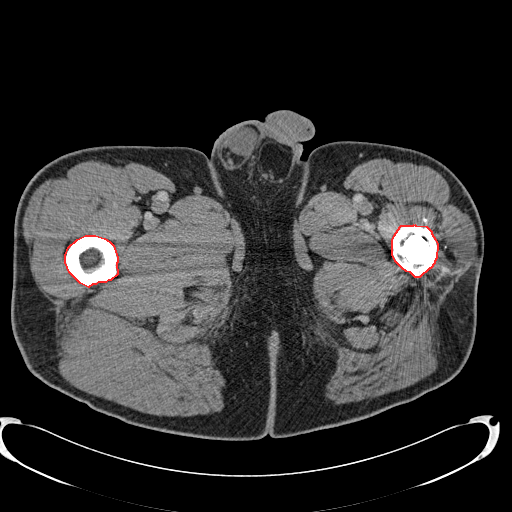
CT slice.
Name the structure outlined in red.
red: bones.
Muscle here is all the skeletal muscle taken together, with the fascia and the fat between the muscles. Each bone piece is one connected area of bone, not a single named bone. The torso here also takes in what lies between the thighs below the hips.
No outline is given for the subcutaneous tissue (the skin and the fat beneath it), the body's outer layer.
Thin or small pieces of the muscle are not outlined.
The bones appear in 2 outlined pieces: piece 1: 85 235; 95 235; 104 238; 109 241; 113 245; 117 257; 117 262; 116 263; 117 274; 110 280; 108 280; 105 282; 98 282; 95 284; 92 284; 88 287; 80 283; 69 272; 65 262; 65 255; 68 247; 77 239; piece 2: 414 224; 415 225; 426 226; 431 231; 431 233; 435 239; 437 244; 436 258; 434 261; 434 263; 430 268; 429 268; 419 277; 415 277; 410 272; 406 271; 402 268; 396 262; 392 255; 392 240; 394 235; 400 226; 401 225; 413 225. The torso is outlined by 281 109; 294 111; 309 119; 313 124; 314 134; 311 138; 304 140; 301 143; 302 151; 300 157; 303 160; 293 173; 283 193; 262 217; 257 228; 223 187; 216 175; 215 169; 209 156; 215 140; 227 128; 245 120; 262 121; 270 112. The right leg is outlined by 99 145; 175 145; 200 150; 209 157; 215 175; 229 197; 260 234; 277 311; 274 402; 270 430; 262 438; 242 441; 204 439; 132 425; 94 410; 50 387; 26 367; 14 339; 10 318; 13 227; 17 205; 30 179; 44 165; 68 152. The muscle appears in 2 outlined pieces: piece 1: 87 160; 132 161; 150 166; 175 186; 215 199; 238 222; 245 248; 235 301; 212 351; 216 366; 226 380; 225 406; 221 411; 193 416; 143 413; 76 388; 58 374; 51 361; 50 304; 32 276; 22 220; 30 197; 40 184; 62 169, around a hole outlined by 85 235; 95 235; 104 238; 109 241; 113 245; 117 257; 117 262; 116 263; 117 274; 110 280; 108 280; 105 282; 98 282; 95 284; 92 284; 88 287; 80 283; 69 272; 65 262; 65 255; 68 247; 77 239; piece 2: 383 157; 423 164; 441 174; 449 185; 453 201; 474 224; 476 260; 455 284; 440 309; 436 370; 399 390; 360 401; 333 404; 325 401; 323 386; 336 358; 333 350; 319 343; 309 328; 311 282; 296 260; 292 226; 314 194; 356 165 with a hole at 414 224; 415 225; 426 226; 431 231; 431 233; 435 239; 437 244; 436 258; 434 261; 434 263; 430 268; 429 268; 419 277; 415 277; 410 272; 406 271; 402 268; 396 262; 392 255; 392 240; 394 235; 400 226; 401 225; 413 225. The left leg is outlined by 338 140; 369 141; 419 150; 446 165; 465 186; 478 210; 484 231; 484 257; 477 284; 476 335; 471 353; 459 373; 418 398; 351 423; 295 436; 273 438; 268 435; 275 402; 278 311; 270 285; 265 245; 258 227; 311 151; 322 144.